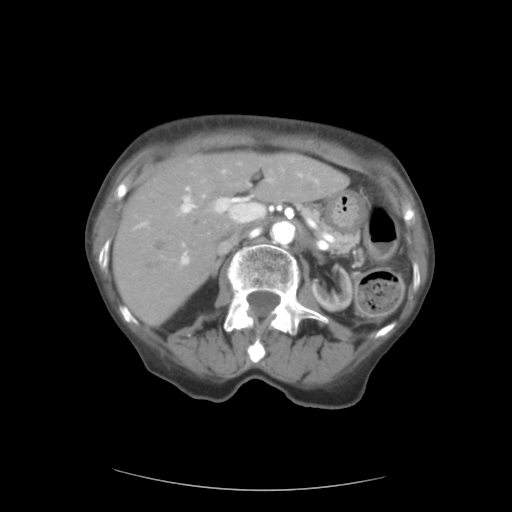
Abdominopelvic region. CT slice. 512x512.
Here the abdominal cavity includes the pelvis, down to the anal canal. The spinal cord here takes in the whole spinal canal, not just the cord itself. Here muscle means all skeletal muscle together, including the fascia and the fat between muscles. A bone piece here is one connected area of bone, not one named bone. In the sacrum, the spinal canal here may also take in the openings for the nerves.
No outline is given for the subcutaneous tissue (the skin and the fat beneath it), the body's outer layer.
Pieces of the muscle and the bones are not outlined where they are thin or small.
{"muscle":[{"outer":[[219,128],[258,128],[259,129],[270,130],[277,133],[312,134],[316,137],[337,142],[361,155],[373,155],[377,153],[383,154],[390,159],[396,169],[399,172],[400,175],[403,178],[411,193],[413,195],[413,197],[416,202],[417,207],[421,216],[422,225],[425,231],[425,235],[429,249],[427,277],[424,286],[417,299],[416,304],[409,317],[401,327],[400,327],[391,337],[378,347],[368,357],[363,360],[352,372],[342,376],[339,379],[337,379],[331,383],[329,383],[326,385],[325,387],[312,388],[311,389],[303,389],[281,381],[258,368],[251,368],[248,369],[241,374],[233,378],[230,378],[223,382],[215,382],[209,379],[202,379],[189,370],[173,363],[168,359],[162,359],[160,358],[157,353],[150,349],[149,347],[134,335],[122,322],[112,307],[105,293],[102,282],[98,274],[93,259],[93,255],[92,254],[92,229],[93,228],[95,218],[102,206],[105,196],[110,186],[111,181],[119,167],[133,153],[147,143],[155,142],[156,141],[161,141],[162,140],[171,141],[180,137],[183,137],[193,132],[216,130]],"hole":[[242,145],[299,150],[352,170],[402,220],[403,206],[411,206],[415,219],[403,222],[404,236],[420,281],[416,290],[409,284],[391,330],[375,338],[376,329],[356,333],[331,317],[304,318],[295,335],[267,326],[265,355],[253,362],[247,348],[257,326],[223,327],[233,295],[226,263],[212,307],[191,323],[161,334],[124,319],[109,264],[103,270],[98,263],[122,205],[114,199],[118,185],[126,178],[132,187],[209,148]]},[[302,259],[305,260],[309,265],[309,277],[311,280],[311,292],[312,293],[313,298],[315,300],[319,308],[319,311],[320,312],[317,310],[315,310],[310,307],[308,307],[304,305],[301,303],[297,298],[297,291],[301,280],[299,262],[300,260]]],"torso":[[[212,112],[311,119],[372,135],[395,152],[421,198],[435,245],[432,283],[417,317],[380,359],[363,397],[353,406],[303,407],[259,379],[244,383],[223,402],[192,398],[144,367],[100,297],[85,256],[84,228],[107,171],[132,139],[146,128],[179,116]]],"bones":[{"outer":[[259,243],[271,243],[285,248],[296,259],[300,276],[296,291],[297,300],[326,316],[328,322],[304,318],[298,324],[295,335],[265,327],[260,334],[265,355],[253,362],[247,348],[256,338],[257,326],[227,332],[223,323],[233,295],[226,269],[239,249]],"hole":[[256,291],[267,291],[268,292],[271,292],[272,293],[274,293],[279,296],[279,302],[265,317],[263,317],[262,318],[257,317],[249,313],[249,311],[250,310],[250,304],[247,300],[247,297],[250,293],[252,292],[255,292]]},[[108,238],[110,238],[110,244],[109,245],[109,251],[108,252],[108,263],[107,264],[107,267],[106,269],[105,270],[103,270],[100,267],[98,263],[98,257],[99,256],[99,253],[100,252],[100,250],[101,248],[103,246],[105,241]],[[121,304],[122,304],[127,307],[127,308],[132,314],[132,315],[138,321],[138,322],[139,323],[139,324],[138,325],[136,325],[134,323],[133,323],[132,322],[127,322],[124,319],[122,314],[120,312],[120,311],[119,310],[119,305],[120,305]],[[395,320],[396,321],[396,324],[391,330],[390,330],[387,333],[386,333],[382,336],[380,336],[377,338],[375,338],[374,337],[374,335],[375,334],[375,333],[380,328],[385,326],[387,324],[388,324],[392,321],[394,321]]],"abdominal_cavity":[[[242,145],[319,156],[362,175],[383,196],[403,221],[411,260],[411,282],[396,319],[356,333],[321,313],[308,262],[298,263],[285,247],[271,242],[239,248],[220,271],[212,307],[173,331],[158,333],[122,303],[112,283],[109,252],[129,188],[185,156]]],"spinal_cord":[[[256,291],[267,291],[268,292],[271,292],[272,293],[274,293],[279,296],[279,302],[265,317],[263,317],[262,318],[257,317],[249,313],[249,311],[250,310],[250,304],[247,300],[247,297],[250,293],[252,292],[255,292]]]}